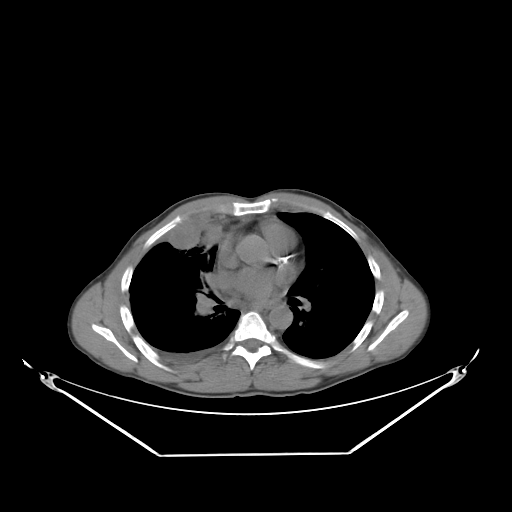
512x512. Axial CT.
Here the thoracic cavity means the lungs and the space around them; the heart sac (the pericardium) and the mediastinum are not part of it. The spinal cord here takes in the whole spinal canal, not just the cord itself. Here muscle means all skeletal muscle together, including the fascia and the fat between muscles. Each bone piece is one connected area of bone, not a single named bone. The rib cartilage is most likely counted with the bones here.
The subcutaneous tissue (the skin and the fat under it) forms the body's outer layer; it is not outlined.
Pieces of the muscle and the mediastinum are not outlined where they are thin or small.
muscle: 279 192; 308 196; 332 207; 360 228; 390 260; 399 276; 407 278; 421 292; 427 308; 425 324; 404 352; 350 373; 325 377; 312 387; 199 392; 184 389; 172 382; 154 381; 133 372; 114 369; 77 342; 71 326; 77 301; 91 286; 106 278; 140 235; 185 203; 212 196; 232 196; 248 201; 216 203; 209 208; 216 214; 208 212; 186 219; 184 214; 175 215; 145 240; 142 246; 147 250; 135 267; 129 264; 124 269; 120 278; 120 291; 128 292; 129 307; 122 303; 118 311; 137 349; 152 364; 167 372; 174 370; 162 362; 171 365; 195 364; 221 348; 224 360; 227 353; 231 357; 240 356; 251 371; 262 357; 274 351; 298 365; 312 369; 326 368; 328 362; 321 359; 338 354; 350 344; 349 350; 353 352; 372 329; 374 321; 368 316; 371 312; 378 315; 384 303; 384 290; 375 289; 375 279; 381 278; 380 266; 371 254; 364 254; 358 243; 358 234; 329 210; 314 205; 303 206; 311 212; 271 209; 278 203; 278 197; 256 200; inner edges: 404 309; 407 309; 408 310; 408 315; 406 317; 406 318; 404 319; 394 329; 390 331; 372 350; 370 351; 368 351; 367 350; 367 348; 368 346; 379 336; 379 335; 383 331; 383 330; 385 328; 387 324; 390 321; 390 320; 400 311, then 93 323; 100 325; 101 326; 103 326; 104 327; 106 327; 110 329; 113 333; 115 338; 119 342; 119 343; 131 354; 135 356; 137 358; 137 361; 135 362; 133 360; 127 357; 113 342; 106 339; 103 336; 93 330; 91 326; 91 325
thoracic cavity 1: 208 213; 216 215; 224 224; 212 266; 215 283; 226 307; 228 309; 237 310; 240 314; 234 328; 222 347; 212 354; 200 358; 195 363; 171 364; 162 361; 162 357; 138 331; 130 308; 130 284; 136 266; 152 244; 177 227; 181 222
thoracic cavity 2: 282 211; 314 213; 339 226; 357 242; 374 279; 374 297; 367 318; 351 342; 332 356; 320 359; 310 358; 292 351; 278 339; 281 339; 294 321; 292 307; 288 302; 288 291; 306 265; 306 247; 303 238; 292 225; 278 217; 278 213
torso: 276 188; 305 189; 333 200; 363 221; 423 286; 431 304; 430 325; 421 342; 404 359; 311 394; 199 398; 111 373; 71 344; 66 331; 66 317; 72 300; 84 285; 111 263; 138 228; 173 203; 194 194; 222 191; 256 196
bones 1: 249 311; 257 312; 264 321; 267 329; 289 350; 310 359; 326 361; 327 366; 324 368; 304 366; 274 350; 271 354; 262 356; 252 370; 248 362; 240 355; 231 356; 227 352; 224 359; 224 352; 222 350; 224 344; 235 328; 240 315; inner edge: 251 338; 253 338; 254 339; 256 339; 257 340; 258 340; 261 342; 261 344; 260 345; 260 346; 259 346; 257 348; 257 349; 255 351; 250 351; 249 350; 248 350; 243 345; 243 342; 245 340; 246 340; 247 339; 250 339
bones 2: 122 304; 126 305; 130 309; 136 329; 143 339; 152 348; 152 349; 159 355; 160 361; 162 363; 170 367; 173 371; 167 371; 160 367; 158 367; 145 357; 138 349; 134 343; 131 335; 126 330; 122 322; 120 312; 119 311; 119 308
bones 3: 272 197; 276 197; 278 198; 277 203; 268 211; 262 213; 252 213; 251 214; 245 214; 244 215; 232 215; 231 214; 217 213; 210 209; 212 206; 220 203; 227 203; 233 201; 237 201; 238 202; 254 202; 255 201; 260 201
bones 4: 404 309; 407 309; 408 310; 408 315; 406 317; 406 318; 404 319; 394 329; 390 331; 372 350; 370 351; 368 351; 367 350; 367 348; 368 346; 379 336; 379 335; 383 331; 383 330; 385 328; 387 324; 390 321; 390 320; 400 311
bones 5: 177 215; 184 215; 185 216; 185 219; 181 221; 179 223; 179 224; 178 224; 175 227; 168 231; 160 238; 157 239; 153 243; 152 243; 148 248; 148 249; 145 249; 143 246; 146 240; 155 231; 156 231; 159 228; 163 226
bones 6: 304 206; 314 206; 315 207; 321 208; 324 210; 329 211; 333 215; 340 219; 344 223; 349 226; 357 234; 358 236; 358 241; 354 239; 351 235; 336 223; 331 221; 329 219; 327 219; 323 217; 317 213; 312 212; 310 210; 306 209
bones 7: 93 323; 100 325; 101 326; 103 326; 104 327; 106 327; 110 329; 113 333; 115 338; 119 342; 119 343; 131 354; 135 356; 137 358; 137 361; 135 362; 133 360; 127 357; 113 342; 106 339; 103 336; 93 330; 91 326; 91 325
bones 8: 367 319; 370 319; 373 321; 373 323; 372 324; 371 329; 369 333; 367 335; 367 336; 364 339; 364 340; 353 351; 351 351; 350 350; 352 347; 352 345; 351 343; 355 338; 355 337; 358 334; 358 333; 362 328; 363 325; 365 323
bones 9: 129 265; 131 265; 134 268; 134 269; 133 270; 133 272; 131 276; 131 279; 130 280; 130 283; 129 284; 129 288; 128 289; 128 291; 126 292; 122 292; 121 291; 121 278; 122 277; 122 275; 125 269
bones 10: 380 289; 383 290; 384 292; 384 295; 383 296; 383 303; 382 304; 381 309; 379 313; 377 314; 374 312; 372 312; 371 310; 372 309; 372 306; 373 305; 373 302; 374 301; 374 298; 375 297; 375 292; 376 290; 379 290
bones 11: 368 255; 371 255; 374 258; 374 259; 376 261; 376 262; 379 266; 379 270; 380 271; 380 278; 379 279; 376 279; 375 278; 374 278; 374 277; 371 272; 371 270; 370 269; 370 267; 369 266; 369 264; 367 261; 367 258; 366 257
spinal cord: 251 338; 253 338; 254 339; 256 339; 257 340; 258 340; 261 342; 261 344; 260 345; 260 346; 259 346; 257 348; 257 349; 255 351; 250 351; 249 350; 248 350; 243 345; 243 342; 245 340; 246 340; 247 339; 250 339
pericardium: 260 215; 276 216; 281 221; 291 226; 297 232; 301 240; 301 243; 304 247; 303 267; 294 281; 287 288; 286 291; 275 299; 261 303; 240 301; 232 298; 222 291; 216 280; 215 269; 219 244; 223 231; 225 231; 232 224; 240 220
mediastinum 1: 288 288; 287 302; 291 307; 293 321; 282 334; 280 339; 268 329; 262 316; 257 311; 249 310; 240 313; 240 311; 237 309; 228 308; 221 297; 220 291; 220 289; 222 292; 232 299; 240 302; 261 304; 273 301; 282 296; 287 291
mediastinum 2: 270 210; 281 210; 281 211; 279 211; 277 213; 277 216; 273 214; 260 214; 247 217; 232 223; 225 230; 223 230; 225 224; 224 222; 217 215; 217 214; 222 214; 223 215; 231 215; 232 216; 244 216; 252 214; 262 214; 268 212